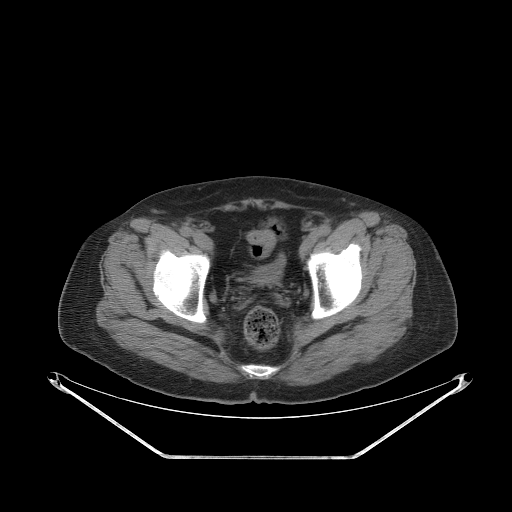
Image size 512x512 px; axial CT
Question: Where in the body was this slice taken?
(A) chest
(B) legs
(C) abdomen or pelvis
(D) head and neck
Answer: (C) abdomen or pelvis
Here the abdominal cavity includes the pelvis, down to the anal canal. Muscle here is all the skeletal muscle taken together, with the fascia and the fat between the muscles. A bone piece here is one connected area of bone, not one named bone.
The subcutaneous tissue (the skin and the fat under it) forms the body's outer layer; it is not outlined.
Outlined structures:
muscle: 250,197 280,200 328,214 373,210 396,220 407,232 416,261 412,323 405,334 370,363 358,363 327,380 299,386 269,379 204,381 119,346 98,325 95,315 103,295 98,265 108,237 131,218 147,217 167,224 with a hole at 249,206 298,209 330,222 334,229 312,253 361,247 358,295 319,319 311,317 312,295 289,354 267,377 237,368 243,363 226,351 204,293 206,321 199,323 173,313 152,289 162,250 203,253 192,240 204,218
abdominal cavity: 249,206 261,210 298,209 334,225 332,231 313,245 305,262 311,284 308,311 293,327 289,354 275,365 243,363 232,358 226,351 226,333 211,318 204,293 211,260 192,241 199,225 207,216 219,211 243,211
bones 1: 164,249 168,249 177,256 181,256 187,253 191,254 204,253 209,257 210,266 205,280 203,290 203,310 206,317 205,322 203,323 193,322 176,315 165,307 154,294 152,289 153,287 153,271 159,258 160,252
bones 2: 351,242 357,243 361,247 359,261 362,273 362,280 361,281 360,291 355,299 340,311 323,318 313,319 311,317 311,312 313,308 312,284 306,262 311,253 314,252 316,253 322,251 338,253 341,250 344,249
bones 3: 242,364 262,364 263,365 271,365 272,366 281,366 281,368 276,372 270,374 267,377 258,377 254,375 252,376 250,376 249,374 245,371 243,371 240,369 238,369 237,367 239,365 241,365
torso: 243,175 291,177 337,187 392,206 416,219 433,240 454,290 458,320 454,343 443,352 383,384 333,399 300,404 251,401 231,405 178,398 144,388 68,347 58,332 58,302 76,252 96,227 155,192 182,184